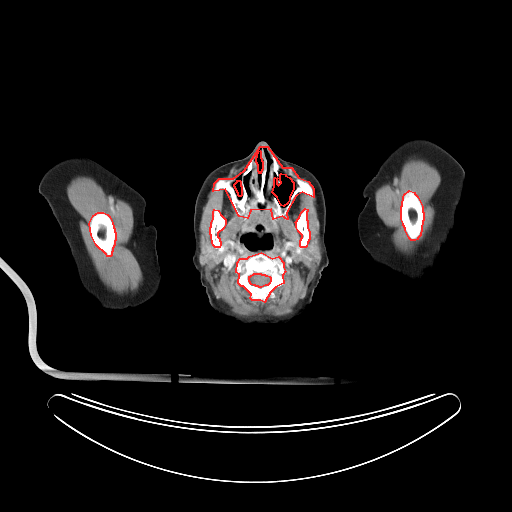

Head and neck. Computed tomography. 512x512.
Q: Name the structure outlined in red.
A: red: bones.
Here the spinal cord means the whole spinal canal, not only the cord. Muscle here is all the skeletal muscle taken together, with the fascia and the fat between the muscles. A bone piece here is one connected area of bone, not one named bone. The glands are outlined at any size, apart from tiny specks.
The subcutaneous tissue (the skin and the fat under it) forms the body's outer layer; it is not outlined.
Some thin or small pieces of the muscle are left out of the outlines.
{"bones":[{"outer":[[260,146],[267,146],[282,167],[291,167],[298,177],[308,181],[313,188],[313,197],[302,192],[295,196],[286,212],[287,219],[282,216],[273,219],[271,209],[250,210],[247,218],[239,216],[225,189],[213,191],[214,183],[219,178],[233,178],[244,170]],"holes":[[[281,173],[285,174],[285,175],[289,177],[293,182],[293,189],[289,196],[289,199],[287,203],[283,206],[281,205],[277,197],[272,192],[274,186],[274,178],[275,177],[277,178],[276,179],[276,183],[278,185],[281,182],[280,179],[280,174]],[[259,150],[260,151],[260,157],[261,158],[261,160],[262,161],[262,169],[261,170],[261,171],[260,172],[260,173],[259,173],[259,172],[258,171],[258,165],[257,164],[257,163],[256,162],[256,157],[257,156],[257,153],[258,152],[258,151]],[[237,180],[239,180],[240,181],[240,185],[241,186],[241,195],[240,196],[239,196],[238,195],[238,193],[237,192],[237,191],[236,190],[236,189],[235,188],[235,187],[234,186],[234,184],[237,181]]]},{"outer":[[261,252],[272,258],[278,256],[283,262],[283,267],[285,271],[282,275],[283,283],[275,287],[270,292],[264,302],[260,300],[252,300],[250,298],[251,294],[243,286],[241,286],[238,283],[239,274],[236,272],[237,262],[240,258],[247,258],[249,256]],"hole":[[254,273],[260,273],[261,274],[264,274],[265,275],[267,275],[269,276],[270,277],[270,281],[269,283],[267,285],[265,285],[261,287],[259,287],[258,286],[256,286],[255,285],[253,285],[251,284],[249,281],[249,276],[250,276]]},[[409,190],[414,192],[414,193],[417,196],[422,206],[422,211],[423,212],[423,220],[422,221],[420,235],[417,238],[417,239],[415,240],[411,240],[409,238],[405,230],[405,228],[403,225],[403,223],[401,219],[401,206],[402,205],[403,196],[404,194]],[[98,212],[103,212],[107,214],[109,216],[112,222],[113,227],[114,228],[114,231],[115,232],[115,240],[114,241],[114,245],[112,248],[112,251],[111,252],[111,255],[110,256],[107,256],[106,254],[96,245],[91,235],[89,223],[93,215]],[[214,209],[218,210],[220,214],[225,219],[225,224],[223,228],[217,233],[217,236],[219,238],[219,240],[220,241],[220,245],[219,247],[215,247],[213,245],[212,243],[211,235],[210,234],[210,227],[211,226],[211,223],[213,218],[213,211]],[[305,208],[307,209],[307,211],[306,212],[306,219],[307,220],[307,227],[309,232],[309,239],[307,242],[306,246],[305,247],[301,247],[300,246],[300,240],[302,237],[302,235],[298,231],[296,227],[296,223],[295,222],[299,217],[301,212]]],"spinal_cord":[[[254,273],[260,273],[261,274],[264,274],[265,275],[267,275],[269,276],[270,277],[270,281],[269,283],[267,285],[265,285],[261,287],[259,287],[258,286],[256,286],[255,285],[253,285],[251,284],[249,281],[249,276],[250,276]]],"left_arm":[[[412,138],[425,138],[438,144],[459,162],[465,172],[462,195],[455,211],[454,229],[441,248],[434,268],[419,283],[412,283],[370,259],[368,252],[360,241],[357,227],[358,215],[367,200],[362,195],[365,185],[376,173],[386,157],[402,142]]],"right_arm":[[[72,155],[85,156],[101,164],[139,192],[145,199],[146,207],[144,222],[146,225],[152,224],[156,228],[156,249],[162,276],[159,292],[153,299],[136,307],[108,310],[103,308],[82,286],[66,239],[48,203],[38,191],[38,185],[43,174],[59,160]]],"head_and_neck":[{"outer":[[259,141],[266,142],[275,155],[309,170],[320,182],[325,199],[325,245],[329,261],[321,272],[311,302],[300,315],[286,323],[248,324],[218,313],[210,305],[206,290],[200,282],[199,273],[192,262],[194,206],[203,180],[215,168],[248,155]],"holes":[[[281,173],[285,174],[285,175],[289,177],[293,182],[293,189],[289,196],[289,199],[287,203],[283,206],[281,205],[277,197],[272,192],[274,186],[274,178],[275,177],[277,178],[276,179],[276,183],[278,185],[281,182],[280,179],[280,174]],[[249,232],[252,232],[255,234],[255,235],[258,238],[261,238],[264,235],[264,234],[266,234],[267,233],[271,234],[272,236],[272,245],[271,247],[269,248],[257,248],[256,249],[250,249],[248,248],[245,245],[244,242],[242,241],[242,236],[247,234]],[[259,150],[260,151],[260,157],[261,158],[261,160],[262,161],[262,169],[261,170],[261,171],[260,172],[260,173],[259,173],[259,172],[258,171],[258,165],[257,164],[257,163],[256,162],[256,157],[257,156],[257,153],[258,152],[258,151]],[[237,180],[239,180],[240,181],[240,185],[241,186],[241,195],[240,196],[239,196],[238,195],[238,193],[237,192],[237,191],[236,190],[236,189],[235,188],[235,187],[234,186],[234,184],[237,181]]]}],"parotid_glands":[[[202,234],[205,236],[210,237],[211,239],[211,247],[212,248],[212,251],[213,252],[213,257],[208,260],[207,262],[203,265],[201,265],[200,264],[200,259],[199,258],[199,255],[198,254],[198,249],[199,248],[199,245],[200,244],[200,239],[202,237]],[[318,234],[319,234],[319,241],[320,242],[320,244],[321,245],[321,260],[320,261],[319,261],[313,254],[310,253],[309,250],[307,248],[307,245],[308,244],[308,242],[309,241],[309,240],[312,237],[315,237],[316,236],[317,236],[318,235]]],"muscle":[{"outer":[[244,164],[237,175],[219,177],[212,187],[213,192],[223,189],[229,194],[239,217],[247,219],[250,211],[271,210],[273,220],[287,220],[299,193],[316,195],[319,233],[310,238],[306,207],[294,222],[301,235],[299,246],[320,262],[306,296],[284,316],[237,315],[215,298],[205,278],[202,266],[214,257],[212,244],[220,247],[218,233],[226,219],[214,208],[210,236],[202,233],[200,238],[202,207],[212,182],[233,166]],"holes":[[[261,252],[272,258],[278,256],[283,262],[283,267],[285,271],[282,275],[283,283],[275,287],[270,292],[264,302],[260,300],[252,300],[250,298],[251,294],[243,286],[241,286],[238,283],[239,274],[236,272],[237,262],[240,258],[247,258],[249,256]],[[249,232],[252,232],[255,234],[255,235],[258,238],[261,238],[264,235],[264,234],[266,234],[267,233],[271,234],[272,236],[272,245],[271,247],[269,248],[257,248],[256,249],[250,249],[248,248],[245,245],[244,242],[242,241],[242,236],[247,234]]]},{"outer":[[76,175],[88,175],[93,177],[107,192],[117,195],[131,204],[134,214],[134,230],[129,245],[138,260],[143,275],[143,281],[136,291],[119,295],[106,288],[99,279],[87,253],[81,236],[78,224],[79,217],[70,204],[65,190],[68,182],[71,178]],"hole":[[98,212],[103,212],[107,214],[109,216],[112,222],[113,227],[114,228],[114,231],[115,232],[115,240],[114,241],[114,245],[112,248],[112,251],[111,252],[111,255],[110,256],[107,256],[106,254],[96,245],[91,235],[89,223],[93,215]]},{"outer":[[410,156],[422,157],[433,164],[440,172],[441,183],[431,199],[435,209],[435,218],[432,228],[424,240],[417,245],[413,253],[407,255],[395,248],[391,241],[391,234],[393,230],[387,227],[377,215],[375,209],[374,193],[380,185],[400,171],[402,164]],"hole":[[409,190],[414,192],[414,193],[417,196],[422,206],[422,211],[423,212],[423,220],[422,221],[420,235],[417,238],[417,239],[415,240],[411,240],[409,238],[405,230],[405,228],[403,225],[403,223],[401,219],[401,206],[402,205],[403,196],[404,194]]},[[293,168],[295,170],[296,170],[298,172],[299,172],[300,173],[301,173],[304,176],[305,176],[307,178],[307,179],[308,180],[307,180],[306,179],[305,179],[304,178],[302,178],[301,177],[300,177],[299,176],[298,176],[294,172],[294,170],[293,169]]]}